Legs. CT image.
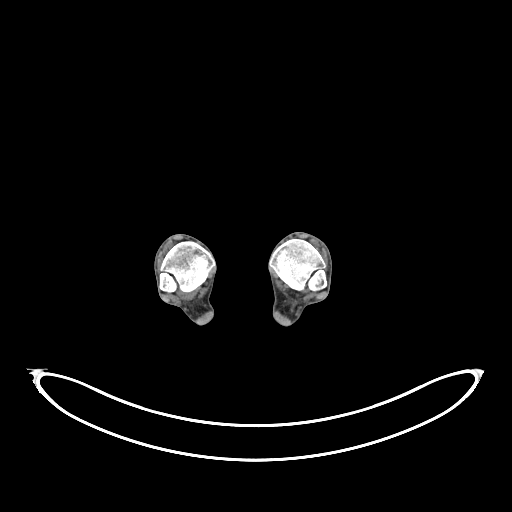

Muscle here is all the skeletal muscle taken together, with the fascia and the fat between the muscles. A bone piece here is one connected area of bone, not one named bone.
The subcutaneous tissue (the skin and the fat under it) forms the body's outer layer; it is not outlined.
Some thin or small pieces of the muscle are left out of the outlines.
The left leg is outlined by (294, 231) (304, 231) (311, 233) (319, 237) (327, 244) (332, 257) (331, 287) (329, 294) (323, 301) (308, 305) (303, 310) (301, 316) (295, 323) (289, 326) (282, 326) (278, 324) (272, 317) (273, 292) (270, 278) (268, 274) (267, 265) (270, 254) (275, 244) (282, 237). The right leg is outlined by (175, 233) (186, 233) (200, 239) (209, 247) (215, 258) (217, 265) (217, 272) (209, 298) (215, 312) (211, 321) (205, 325) (198, 325) (192, 322) (181, 309) (173, 305) (169, 305) (165, 303) (160, 299) (157, 293) (153, 272) (154, 254) (160, 243) (166, 237). The muscle appears in 4 outlined pieces: piece 1: (272, 271) (274, 272) (289, 288) (295, 291) (302, 291) (306, 287) (312, 292) (321, 291) (325, 289) (325, 293) (321, 298) (311, 298) (305, 302) (302, 302) (291, 312) (289, 311) (286, 307) (283, 306) (283, 297) (281, 292) (276, 285) (275, 278) (273, 276); piece 2: (214, 270) (214, 272) (208, 284) (207, 293) (204, 300) (205, 302) (204, 306) (202, 305) (201, 306) (191, 307) (189, 305) (186, 305) (183, 303) (174, 302) (164, 298) (162, 292) (173, 293) (178, 288) (182, 292) (185, 293) (189, 293) (196, 290) (206, 281) (210, 272); piece 3: (180, 236) (189, 239) (184, 239) (183, 240) (177, 241) (168, 249) (161, 261) (159, 267) (159, 270) (160, 271) (158, 275) (157, 272) (157, 259) (158, 258) (159, 252) (163, 248) (163, 246) (169, 240) (171, 240) (175, 237) (179, 237); piece 4: (298, 235) (305, 235) (310, 238) (312, 238) (316, 240) (320, 244) (320, 245) (325, 249) (326, 253) (327, 254) (327, 270) (326, 272) (326, 271) (324, 269) (327, 265) (327, 264) (325, 262) (319, 250) (307, 239) (305, 239) (304, 238) (301, 238) (300, 237) (296, 237). The bones appear in 2 outlined pieces: piece 1: (290, 238) (300, 238) (301, 239) (307, 240) (318, 250) (324, 262) (326, 264) (323, 269) (326, 273) (327, 286) (324, 289) (312, 291) (306, 286) (302, 290) (295, 290) (289, 287) (274, 271) (271, 270) (269, 268) (268, 266) (268, 260) (271, 252) (276, 246); piece 2: (184, 240) (192, 240) (198, 242) (208, 249) (215, 258) (216, 262) (215, 269) (210, 271) (205, 281) (192, 291) (185, 292) (182, 291) (178, 287) (173, 292) (162, 291) (158, 287) (159, 274) (161, 271) (160, 267) (162, 261) (166, 253) (172, 246) (177, 242).